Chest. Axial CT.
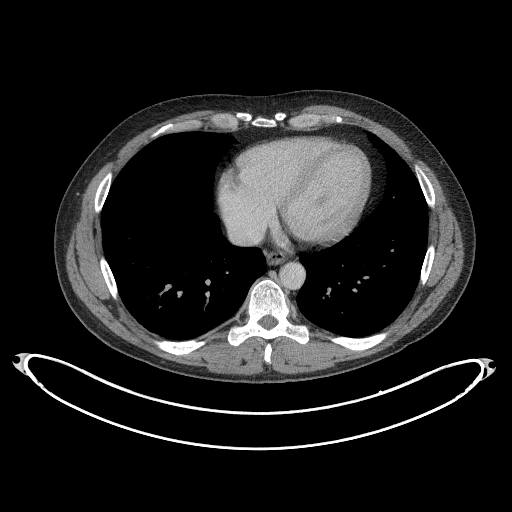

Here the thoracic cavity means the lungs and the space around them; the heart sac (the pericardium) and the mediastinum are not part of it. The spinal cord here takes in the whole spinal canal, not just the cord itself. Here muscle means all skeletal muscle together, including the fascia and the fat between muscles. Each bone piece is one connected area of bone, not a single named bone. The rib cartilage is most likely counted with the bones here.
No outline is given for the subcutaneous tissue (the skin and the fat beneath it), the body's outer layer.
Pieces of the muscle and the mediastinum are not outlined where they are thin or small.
The bones appear in 9 outlined pieces: piece 1: 267,363 271,362 271,339 283,335 305,344 309,340 309,329 306,324 293,323 288,318 291,309 285,294 275,282 265,278 250,292 248,321 243,325 232,325 227,340 237,346 251,336 266,339 268,342 263,357, around a hole outlined by 267,329 269,329 270,328 271,328 272,327 273,327 277,323 277,321 276,320 276,319 270,315 266,315 265,316 264,316 263,317 262,317 259,320 259,323 263,327 264,327; piece 2: 231,130 237,129 241,120 254,126 274,127 278,121 286,119 293,129 305,129 321,121 341,123 342,118 315,113 288,117 286,113 280,111 272,118 254,117 242,111 234,114 217,113 210,117 211,123 215,127; piece 3: 352,350 363,350 369,348 382,341 389,334 390,331 389,330 384,330 375,334 366,337 362,337 361,338 352,338 351,337 346,337 345,336 335,336 334,337 330,337 330,340 331,341 340,345 342,345; piece 4: 176,355 181,355 182,354 189,353 191,351 203,345 205,343 205,341 204,340 201,340 199,341 196,339 190,339 189,340 184,340 183,341 172,341 171,340 167,340 166,339 153,339 152,340 153,343 160,349; piece 5: 431,208 433,208 435,205 435,194 434,193 434,190 433,189 432,184 429,180 426,174 423,171 423,170 417,164 415,164 414,165 414,171 415,172 415,175 419,182 420,187 424,195 424,197 427,203 427,205; piece 6: 153,139 163,134 172,133 173,132 177,132 178,131 189,130 192,128 197,128 200,126 200,122 197,120 192,119 191,120 186,120 185,121 179,122 178,123 168,123 165,125 161,126 151,134 150,136 151,138; piece 7: 97,213 99,213 101,211 101,209 103,206 104,201 106,198 106,196 108,193 108,191 109,190 109,188 112,181 112,173 110,171 109,171 100,181 97,187 96,192 95,193 95,197 94,198 94,210; piece 8: 114,299 116,299 118,297 117,286 116,285 114,277 112,274 112,272 110,269 110,267 105,257 103,255 102,255 100,257 100,259 99,260 100,262 101,271 104,277 104,279 107,285 107,287 112,297; piece 9: 423,285 425,284 427,280 427,278 429,275 429,273 431,269 432,262 433,261 433,257 434,256 434,245 432,243 430,243 427,246 427,249 426,250 426,252 424,256 424,259 423,260 423,263 421,267 419,282. The muscle is outlined by 243,375 272,370 284,374 311,372 371,355 429,316 457,281 464,256 458,222 434,172 389,128 327,104 285,112 288,116 302,112 340,115 342,123 373,132 413,171 417,163 435,190 436,205 428,207 428,244 435,245 428,280 423,286 418,283 409,303 384,329 390,334 363,351 331,342 329,337 334,334 307,322 290,302 289,318 309,326 310,340 305,345 283,336 271,340 272,362 267,364 262,357 266,340 251,337 237,347 226,340 232,324 247,321 247,296 233,317 197,338 206,341 203,346 176,356 152,343 153,338 161,338 140,324 119,296 114,300 104,282 98,261 103,254 100,213 93,210 93,198 109,170 113,179 152,139 150,134 168,122 194,118 201,126 190,130 230,130 210,123 214,113 242,110 254,116 273,114 204,109 178,115 130,139 89,182 65,255 68,278 78,298 113,333 144,350 182,364 204,366 214,373. The spinal cord is outlined by 267,329 269,329 270,328 271,328 272,327 273,327 277,323 277,321 276,320 276,319 270,315 266,315 265,316 264,316 263,317 262,317 259,320 259,323 263,327 264,327. The pericardium is outlined by 291,256 330,245 347,234 361,219 367,207 372,190 372,168 366,154 354,142 327,135 289,135 270,138 254,142 237,152 221,171 214,190 216,211 227,231 230,242 234,245 245,247 270,243 275,245 283,253. The thoracic cavity appears in 2 outlined pieces: piece 1: 172,340 196,338 233,316 251,284 266,270 261,250 257,247 232,245 222,235 218,217 213,211 214,172 234,142 231,136 223,133 194,130 167,134 152,140 127,162 113,180 101,212 104,254 123,303 147,329; piece 2: 352,337 366,336 382,330 401,312 412,297 418,282 427,245 428,209 413,172 391,147 366,130 371,142 386,157 387,176 383,197 347,235 337,242 320,250 300,255 307,277 294,304 298,313 307,321 336,335. The torso is outlined by 246,383 309,380 378,361 433,331 463,293 475,257 475,227 468,200 437,148 395,108 365,95 333,89 269,95 202,93 170,98 118,123 69,182 55,219 53,248 60,288 80,322 111,348 152,366 196,378. The mediastinum appears in 2 outlined pieces: piece 1: 363,217 381,199 386,176 385,157 364,129 330,124 310,130 279,125 249,125 235,131 201,130 223,132 235,140 215,172 213,196 217,215 214,186 220,171 237,151 270,137 327,134 354,141 371,160 373,190; piece 2: 292,303 295,303 296,296 306,277 305,268 299,261 299,256 287,256 279,251 275,246 270,244 262,244 257,246 262,250 266,259 267,270 252,284 249,289 248,295 255,284 262,278 267,277 275,281 281,287.